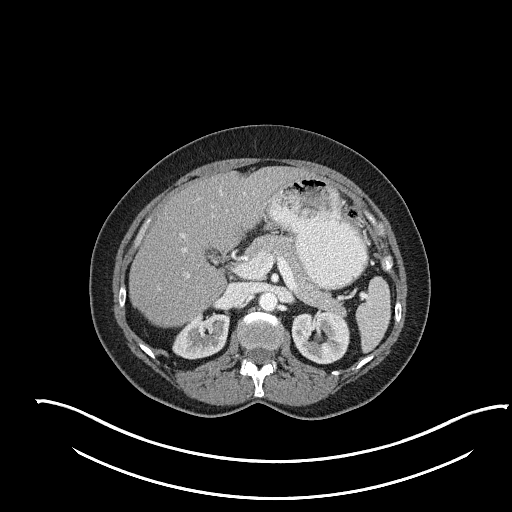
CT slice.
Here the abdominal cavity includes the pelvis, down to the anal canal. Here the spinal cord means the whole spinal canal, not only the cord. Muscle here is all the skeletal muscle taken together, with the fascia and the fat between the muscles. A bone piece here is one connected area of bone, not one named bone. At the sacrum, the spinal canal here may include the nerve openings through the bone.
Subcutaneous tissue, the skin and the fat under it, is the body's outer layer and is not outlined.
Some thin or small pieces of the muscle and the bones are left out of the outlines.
{"torso":[[[299,419],[323,419],[367,403],[406,365],[422,336],[429,311],[431,285],[425,248],[400,193],[375,165],[352,148],[325,135],[281,124],[218,130],[186,143],[156,162],[104,220],[89,266],[93,326],[120,372],[156,401],[202,417],[223,416],[261,403]]],"bones":[[[247,351],[249,349],[251,349],[257,346],[263,347],[272,351],[278,347],[282,340],[283,327],[279,320],[275,316],[271,314],[261,312],[260,311],[254,311],[246,314],[242,318],[239,322],[237,327],[237,335],[238,336],[238,338],[240,340],[241,344]],[[255,397],[262,397],[263,396],[263,390],[262,389],[263,378],[266,375],[274,372],[277,368],[277,364],[275,360],[272,358],[269,363],[263,365],[256,365],[246,357],[241,361],[239,372],[240,374],[248,375],[253,379],[255,385],[254,390],[254,396]],[[132,249],[135,249],[139,244],[141,240],[141,237],[142,236],[143,231],[146,227],[146,226],[149,223],[151,219],[151,217],[152,216],[150,216],[148,217],[142,224],[141,227],[138,231],[138,233],[136,235],[135,238],[132,242]],[[386,271],[389,271],[391,269],[391,268],[393,266],[393,264],[394,263],[393,262],[393,258],[390,255],[386,255],[385,256],[384,256],[383,257],[382,257],[382,266],[383,267],[383,268]],[[120,307],[123,307],[124,306],[124,305],[125,304],[125,296],[126,295],[126,290],[125,289],[125,285],[124,284],[123,284],[122,285],[121,285],[121,286],[120,287],[120,289],[119,290],[119,294],[118,295],[118,301],[119,302],[119,305],[120,306]],[[379,235],[384,235],[384,228],[383,227],[383,225],[382,224],[382,223],[381,223],[380,222],[378,222],[376,220],[376,219],[372,215],[371,215],[370,214],[370,215],[369,216],[369,217],[370,218],[370,220],[372,222],[372,224],[378,230],[378,234]],[[396,322],[398,322],[400,320],[400,319],[401,318],[401,305],[400,304],[400,303],[399,302],[399,301],[398,301],[397,300],[395,302],[395,305],[394,306],[394,318],[395,319],[395,321]],[[153,359],[155,359],[155,355],[153,353],[153,352],[151,350],[151,349],[147,345],[146,345],[144,343],[143,343],[142,342],[140,342],[139,343],[139,346],[142,349],[142,350],[143,350],[149,356],[150,356]],[[354,370],[357,370],[359,368],[360,368],[364,364],[365,364],[367,362],[368,362],[373,357],[373,353],[372,353],[371,354],[370,354],[369,355],[368,355],[367,356],[366,356],[364,358],[363,358],[357,364],[357,365],[353,369]]],"spinal_cord":[[[256,364],[263,364],[264,363],[269,362],[271,358],[271,351],[269,350],[267,350],[266,349],[264,349],[263,348],[260,348],[259,347],[257,347],[251,350],[249,350],[247,354],[247,357],[250,360],[251,360]]],"muscle":[{"outer":[[293,406],[308,405],[336,392],[379,364],[391,351],[406,316],[406,271],[398,243],[387,217],[369,196],[349,178],[325,165],[307,160],[272,157],[230,158],[204,164],[181,176],[139,211],[121,240],[112,276],[113,312],[128,347],[134,355],[191,398],[208,404],[232,405],[254,397],[252,379],[238,372],[240,361],[247,352],[237,338],[236,329],[221,356],[192,369],[180,369],[174,367],[160,349],[151,348],[156,355],[155,360],[141,350],[138,343],[142,340],[128,325],[125,306],[120,308],[117,301],[119,287],[124,283],[125,270],[137,249],[131,249],[131,242],[138,229],[148,216],[153,216],[143,236],[162,207],[183,187],[226,169],[259,161],[299,166],[328,180],[350,197],[357,204],[379,248],[381,263],[381,257],[386,254],[394,258],[394,266],[386,272],[394,284],[396,300],[402,305],[402,318],[398,323],[394,321],[391,332],[374,351],[374,357],[357,371],[352,369],[358,362],[340,369],[337,376],[301,362],[291,353],[289,334],[284,330],[282,342],[272,352],[278,368],[264,378],[263,397]],"hole":[[379,235],[384,235],[384,228],[383,227],[383,225],[382,224],[382,223],[381,223],[380,222],[378,222],[376,220],[376,219],[372,215],[371,215],[370,214],[370,215],[369,216],[369,217],[370,218],[370,220],[372,222],[372,224],[378,230],[378,234]]}],"abdominal_cavity":[[[327,370],[348,367],[373,352],[390,332],[394,320],[395,290],[356,204],[328,181],[276,162],[226,170],[183,188],[160,211],[126,270],[126,317],[132,329],[150,347],[164,350],[174,366],[186,369],[221,355],[241,318],[260,310],[280,320],[298,359]]]}